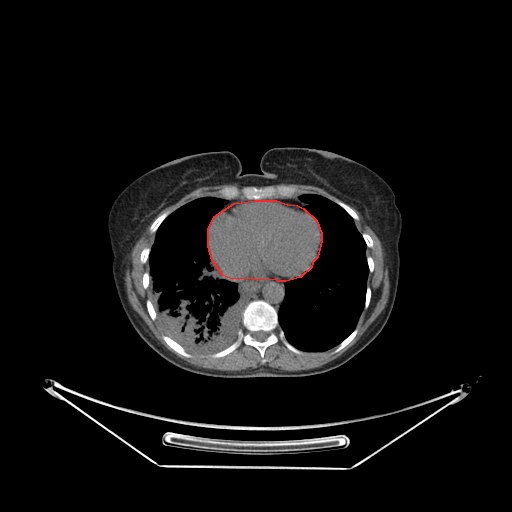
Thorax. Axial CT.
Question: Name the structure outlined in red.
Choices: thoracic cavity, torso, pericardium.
Answer: red: pericardium.
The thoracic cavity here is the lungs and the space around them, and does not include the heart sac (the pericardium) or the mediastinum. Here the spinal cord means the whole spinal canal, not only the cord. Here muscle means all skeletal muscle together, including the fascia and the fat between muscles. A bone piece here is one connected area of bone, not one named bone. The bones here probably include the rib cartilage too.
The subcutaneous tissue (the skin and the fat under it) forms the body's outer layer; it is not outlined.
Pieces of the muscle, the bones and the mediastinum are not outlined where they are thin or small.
Outlines:
pericardium: (255, 200) (276, 200) (287, 204) (297, 205) (303, 208) (316, 220) (321, 233) (321, 241) (317, 257) (312, 262) (311, 267) (300, 277) (285, 281) (278, 281) (275, 279) (259, 280) (251, 278) (232, 279) (222, 275) (212, 260) (208, 246) (208, 229) (214, 216) (234, 203)
mediastinum 1: (229, 279) (232, 280) (251, 279) (252, 280) (258, 280) (259, 281) (263, 281) (264, 280) (275, 280) (278, 282) (285, 282) (287, 281) (284, 284) (285, 295) (278, 310) (277, 310) (271, 304) (263, 299) (254, 299) (251, 300) (249, 302) (247, 296) (242, 288) (236, 282)
mediastinum 2: (298, 195) (299, 195) (299, 198) (302, 201) (304, 202) (307, 202) (307, 204) (304, 207) (304, 208) (300, 205) (298, 205) (297, 204) (293, 204) (292, 203) (287, 203) (286, 202) (280, 201) (276, 199) (262, 199) (264, 199) (265, 198) (291, 198) (292, 197) (294, 197)
mediastinum 3: (236, 198) (241, 198) (242, 199) (246, 199) (247, 200) (254, 200) (242, 200) (241, 201) (237, 201) (236, 202) (234, 202) (233, 203) (232, 203) (231, 204) (228, 205) (223, 209) (220, 210) (222, 208) (223, 205) (226, 202) (226, 200) (230, 200) (231, 199) (235, 199)
muscle 1: (349, 205) (354, 206) (360, 212) (381, 243) (384, 265) (388, 270) (389, 295) (383, 310) (360, 338) (341, 355) (319, 367) (295, 371) (266, 365) (237, 371) (198, 367) (178, 357) (162, 345) (128, 300) (124, 279) (125, 271) (131, 265) (130, 254) (151, 222) (148, 231) (154, 234) (153, 242) (151, 246) (145, 246) (139, 255) (140, 262) (142, 264) (148, 262) (149, 267) (149, 270) (142, 274) (141, 279) (142, 287) (146, 290) (150, 284) (151, 289) (151, 300) (149, 298) (145, 300) (145, 307) (153, 321) (157, 318) (165, 333) (161, 336) (163, 341) (176, 353) (186, 358) (191, 358) (193, 356) (191, 353) (210, 354) (210, 357) (215, 359) (228, 355) (243, 343) (255, 348) (259, 353) (260, 362) (264, 364) (267, 361) (265, 357) (267, 348) (280, 341) (297, 355) (304, 352) (324, 352) (332, 348) (334, 348) (331, 353) (335, 354) (357, 335) (359, 330) (356, 326) (363, 310) (368, 308) (372, 297) (372, 290) (367, 285) (367, 280) (369, 273) (374, 271) (374, 260) (370, 255) (366, 255) (366, 250) (374, 246) (374, 241) (367, 232) (359, 231) (355, 221) (358, 221) (360, 217)
muscle 2: (234, 183) (240, 186) (251, 186) (244, 186) (241, 188) (239, 188) (235, 185) (227, 185) (226, 186) (224, 186) (218, 191) (219, 196) (215, 196) (214, 195) (203, 195) (202, 196) (196, 197) (184, 203) (171, 212) (170, 210) (166, 210) (162, 212) (154, 219) (154, 218) (158, 214) (158, 213) (159, 213) (164, 208) (175, 203) (183, 196) (184, 196) (192, 190) (198, 187) (200, 187) (201, 186) (213, 186) (214, 185) (222, 185) (223, 184) (233, 184)
muscle 3: (279, 183) (303, 184) (304, 185) (313, 185) (314, 186) (317, 186) (324, 189) (341, 200) (339, 199) (334, 199) (332, 200) (323, 195) (317, 193) (311, 193) (310, 192) (302, 193) (293, 196) (297, 190) (294, 186) (288, 185) (287, 184) (277, 184) (276, 185) (273, 185)
spinal cord: (256, 331) (264, 331) (265, 332) (266, 332) (268, 334) (267, 335) (267, 337) (264, 340) (263, 340) (262, 341) (259, 341) (258, 340) (257, 340) (255, 338) (254, 338) (254, 337) (253, 336) (253, 333) (254, 332) (255, 332)
bones 1: (254, 300) (263, 300) (277, 311) (278, 325) (285, 338) (303, 353) (297, 354) (291, 351) (279, 340) (266, 348) (264, 352) (266, 361) (264, 363) (261, 362) (258, 350) (243, 342) (224, 356) (211, 357) (211, 354) (223, 350) (236, 340) (239, 329) (243, 327) (243, 311); inner edge: (256, 331) (264, 331) (265, 332) (266, 332) (268, 334) (267, 335) (267, 337) (264, 340) (263, 340) (262, 341) (259, 341) (258, 340) (257, 340) (255, 338) (254, 338) (254, 337) (253, 336) (253, 333) (254, 332) (255, 332)
bones 2: (270, 185) (273, 186) (287, 185) (294, 187) (296, 190) (291, 197) (265, 197) (261, 199) (247, 199) (242, 198) (240, 196) (235, 198) (226, 199) (221, 197) (219, 193) (219, 191) (221, 189) (227, 186) (235, 186) (239, 189) (241, 189) (244, 187) (255, 186) (258, 188)
bones 3: (163, 335) (166, 335) (170, 338) (171, 338) (173, 340) (174, 340) (176, 342) (177, 342) (182, 347) (183, 347) (183, 348) (187, 352) (190, 353) (192, 355) (192, 356) (191, 357) (186, 357) (176, 352) (173, 349) (172, 349) (164, 341) (164, 340) (162, 338) (162, 336)
bones 4: (166, 211) (170, 211) (170, 213) (162, 221) (162, 222) (159, 225) (159, 226) (157, 228) (157, 229) (155, 231) (155, 232) (154, 233) (151, 233) (149, 231) (149, 228) (150, 227) (150, 225) (152, 223) (152, 222) (159, 215) (160, 215) (162, 213) (163, 213)
bones 5: (355, 328) (357, 328) (358, 331) (357, 332) (356, 335) (353, 338) (353, 339) (347, 345) (346, 345) (342, 349) (341, 349) (339, 351) (338, 351) (335, 353) (332, 353) (332, 352) (334, 350) (334, 349) (344, 339) (345, 339) (355, 329)
bones 6: (334, 200) (339, 200) (340, 201) (341, 201) (342, 202) (343, 202) (344, 203) (345, 203) (346, 204) (347, 204) (351, 208) (352, 208) (357, 213) (357, 214) (359, 217) (359, 219) (358, 220) (355, 220) (341, 206) (340, 206) (337, 203) (336, 203) (334, 201)
bones 7: (147, 299) (149, 299) (151, 301) (151, 302) (152, 303) (152, 304) (153, 305) (153, 306) (155, 309) (155, 311) (156, 312) (156, 319) (155, 320) (153, 320) (151, 318) (151, 317) (149, 315) (149, 313) (147, 310) (147, 308) (146, 307) (146, 300)
bones 8: (145, 247) (150, 247) (150, 251) (149, 252) (149, 254) (148, 255) (148, 259) (147, 260) (147, 261) (145, 263) (142, 263) (141, 262) (141, 261) (140, 260) (140, 255) (141, 254) (141, 251)
bones 9: (364, 232) (365, 232) (366, 233) (367, 233) (371, 237) (371, 238) (372, 239) (372, 240) (373, 241) (373, 246) (372, 247) (367, 247) (367, 245) (366, 244) (366, 243) (365, 242) (365, 240) (363, 238) (363, 237) (362, 236) (362, 233) (363, 233)
bones 10: (367, 286) (369, 286) (369, 287) (370, 288) (370, 289) (371, 290) (371, 297) (370, 298) (370, 300) (369, 301) (369, 304) (368, 305) (368, 306) (367, 307) (367, 308) (366, 309) (365, 309) (364, 308) (364, 306) (365, 305) (365, 300) (366, 299) (366, 290) (367, 289)
thoracic cavity 1: (203, 196) (225, 199) (208, 226) (207, 246) (211, 260) (221, 275) (236, 283) (244, 292) (248, 302) (242, 311) (242, 327) (238, 329) (235, 340) (223, 349) (213, 353) (189, 352) (166, 334) (160, 325) (152, 302) (152, 278) (148, 261) (155, 233) (163, 221) (184, 204)
thoracic cavity 2: (307, 193) (323, 196) (341, 207) (354, 220) (366, 245) (368, 275) (363, 309) (354, 329) (337, 345) (324, 351) (303, 351) (295, 347) (286, 338) (278, 319) (278, 311) (286, 295) (285, 284) (300, 278) (312, 267) (322, 241) (317, 220) (305, 209) (308, 202) (300, 198)
torso: (274, 147) (307, 147) (340, 154) (367, 166) (392, 188) (402, 229) (398, 285) (389, 318) (359, 353) (318, 374) (222, 378) (181, 369) (143, 341) (123, 310) (112, 275) (107, 229) (110, 207) (133, 180) (170, 160) (227, 150) (239, 158) (243, 174) (259, 174) (262, 155)